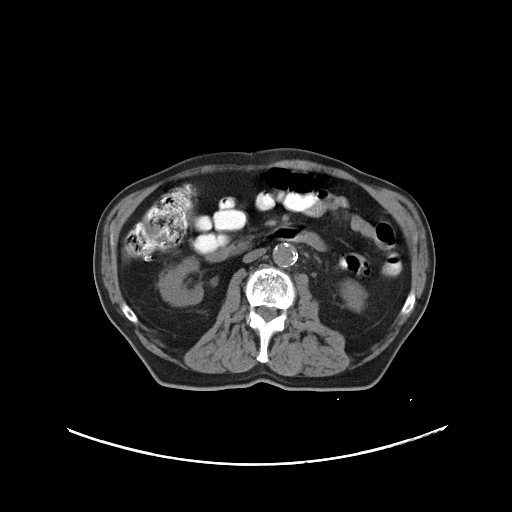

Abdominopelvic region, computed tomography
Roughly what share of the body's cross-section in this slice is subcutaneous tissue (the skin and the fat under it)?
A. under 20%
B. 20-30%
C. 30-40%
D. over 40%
A. under 20%
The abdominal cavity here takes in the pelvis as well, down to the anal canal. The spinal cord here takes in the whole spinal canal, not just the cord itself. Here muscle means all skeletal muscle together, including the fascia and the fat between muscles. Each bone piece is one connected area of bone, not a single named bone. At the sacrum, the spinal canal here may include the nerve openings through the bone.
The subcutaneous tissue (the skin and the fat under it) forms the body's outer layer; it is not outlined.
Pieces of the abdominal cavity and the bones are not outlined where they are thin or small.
Outlines:
abdominal cavity: [[272,166],[353,182],[399,225],[409,252],[410,287],[385,335],[368,349],[348,350],[345,336],[321,322],[304,272],[292,279],[272,265],[257,268],[245,282],[244,268],[234,272],[214,322],[190,346],[148,327],[126,302],[118,239],[145,198],[174,180]]
bones 1: [[269,266],[283,271],[290,277],[295,288],[296,298],[286,311],[287,317],[283,330],[277,331],[271,336],[267,347],[268,360],[262,363],[256,359],[260,348],[259,332],[257,329],[250,327],[246,320],[249,312],[249,304],[243,289],[250,274],[257,269]]; inner edge: [[261,306],[265,306],[266,307],[268,307],[269,308],[270,308],[271,307],[273,307],[274,308],[275,308],[277,310],[277,315],[275,317],[272,318],[270,320],[269,320],[268,321],[265,320],[257,312],[257,308],[258,307],[260,307]]
bones 2: [[410,291],[413,291],[414,292],[414,294],[415,295],[415,303],[414,304],[414,306],[413,307],[413,308],[407,314],[401,314],[400,313],[400,310],[401,309],[401,308],[402,307],[402,306],[403,305],[403,304],[406,299],[406,297],[407,296],[408,293]]
bones 3: [[123,302],[125,302],[131,308],[131,309],[134,312],[134,313],[136,315],[136,316],[138,319],[138,321],[136,323],[135,323],[134,322],[132,322],[131,321],[130,321],[125,316],[125,315],[123,313],[123,312],[121,309],[121,304]]
spinal cord: [[261,306],[265,306],[266,307],[268,307],[269,308],[270,308],[271,307],[273,307],[274,308],[275,308],[277,310],[277,315],[275,317],[272,318],[270,320],[269,320],[268,321],[265,320],[257,312],[257,308],[258,307],[260,307]]
muscle: [[292,159],[299,159],[300,160],[311,161],[326,166],[343,170],[368,185],[375,187],[386,188],[405,196],[412,203],[416,209],[425,231],[427,251],[428,252],[428,267],[426,270],[425,285],[420,297],[416,302],[416,305],[412,313],[400,327],[399,331],[394,339],[383,351],[374,358],[365,362],[363,364],[352,369],[347,368],[345,370],[333,375],[319,376],[318,377],[298,376],[297,375],[296,376],[285,376],[276,373],[264,364],[258,364],[247,371],[239,372],[238,373],[233,373],[232,372],[231,373],[207,374],[202,372],[195,372],[190,369],[183,368],[181,366],[171,361],[164,359],[149,351],[141,343],[135,334],[132,326],[112,306],[109,300],[109,296],[105,292],[104,289],[104,283],[101,272],[101,253],[102,252],[103,229],[105,221],[110,211],[121,199],[127,195],[138,190],[146,188],[170,176],[191,168],[204,166],[205,165],[212,165],[213,164],[216,165],[226,165],[227,164],[234,164],[235,165],[261,165],[262,164],[267,164],[270,162],[276,162],[282,160],[291,160]], around holes outlined by [[272,166],[353,182],[392,216],[409,252],[413,308],[399,311],[368,349],[350,351],[345,336],[321,322],[309,278],[297,272],[295,301],[264,363],[256,359],[259,332],[246,320],[244,268],[190,346],[130,321],[121,309],[117,245],[141,202],[174,180]] and by [[111,232],[112,232],[113,233],[113,237],[114,238],[114,241],[115,242],[115,245],[113,247],[111,247],[111,246],[110,245],[110,233]]
torso: [[273,147],[298,147],[340,159],[402,187],[417,200],[429,223],[435,248],[435,275],[427,306],[383,376],[367,389],[286,390],[265,382],[212,391],[162,386],[154,380],[109,320],[100,303],[92,267],[99,217],[108,202],[124,187],[186,158],[217,150]]